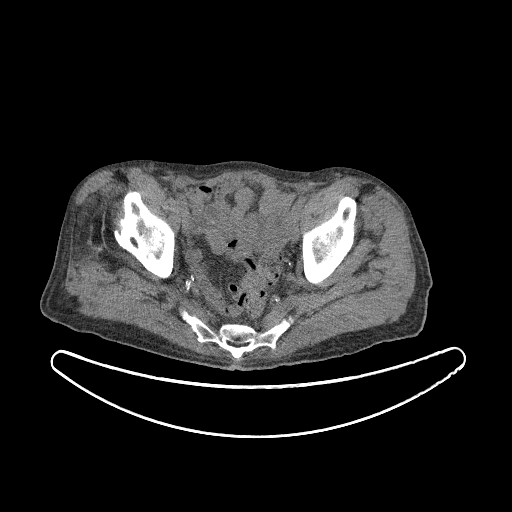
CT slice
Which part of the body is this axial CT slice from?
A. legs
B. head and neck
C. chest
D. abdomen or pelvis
Answer: D. abdomen or pelvis
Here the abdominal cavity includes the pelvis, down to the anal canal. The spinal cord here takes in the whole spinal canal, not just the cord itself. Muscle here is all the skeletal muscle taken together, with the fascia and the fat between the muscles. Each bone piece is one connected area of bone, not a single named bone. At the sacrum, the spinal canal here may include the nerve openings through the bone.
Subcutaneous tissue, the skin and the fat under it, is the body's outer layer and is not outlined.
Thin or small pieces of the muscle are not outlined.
The torso is outlined by (133, 159) (195, 164) (252, 160) (299, 171) (345, 166) (376, 176) (408, 205) (427, 254) (433, 284) (422, 330) (414, 337) (381, 342) (350, 355) (322, 361) (229, 371) (164, 357) (50, 320) (41, 313) (39, 300) (52, 268) (73, 188) (84, 176) (103, 165). The spinal cord is outlined by (229, 342) (230, 342) (231, 343) (246, 343) (246, 344) (245, 344) (244, 345) (240, 345) (239, 346) (236, 346) (235, 345) (233, 345) (232, 344) (230, 344) (229, 343). The abdominal cavity is outlined by (234, 178) (312, 193) (299, 215) (301, 253) (296, 262) (295, 284) (281, 301) (272, 306) (259, 327) (256, 327) (255, 328) (258, 329) (255, 329) (249, 324) (238, 322) (218, 325) (202, 304) (189, 297) (180, 285) (175, 246) (179, 229) (176, 202) (164, 188) (166, 182) (185, 186) (213, 184). The muscle is outlined by (133, 166) (206, 174) (225, 169) (256, 169) (280, 180) (346, 174) (372, 181) (397, 200) (408, 225) (416, 278) (406, 311) (397, 321) (342, 333) (290, 356) (244, 363) (219, 361) (171, 344) (134, 325) (80, 313) (64, 288) (75, 222) (74, 200) (83, 184) (96, 173) with a hole at (234, 178) (310, 191) (299, 215) (300, 236) (330, 218) (343, 196) (356, 201) (349, 251) (316, 284) (304, 275) (301, 253) (293, 289) (255, 328) (265, 331) (289, 316) (293, 322) (274, 349) (259, 346) (238, 359) (215, 342) (198, 341) (182, 319) (180, 310) (185, 309) (214, 330) (220, 326) (180, 285) (176, 247) (172, 271) (161, 278) (120, 246) (113, 232) (130, 190) (139, 192) (148, 209) (166, 220) (176, 238) (176, 202) (164, 184) (213, 184). The bones appear in 3 outlined pieces: piece 1: (130, 190) (139, 192) (143, 202) (148, 209) (155, 215) (165, 219) (174, 231) (175, 245) (173, 256) (173, 267) (170, 275) (166, 278) (161, 278) (146, 269) (130, 252) (120, 246) (115, 239) (113, 232) (118, 227) (118, 221) (123, 216) (124, 213) (123, 199) (125, 194); piece 2: (343, 196) (349, 196) (353, 198) (356, 201) (356, 215) (354, 221) (354, 237) (353, 238) (353, 244) (349, 251) (330, 275) (322, 281) (316, 284) (311, 283) (306, 279) (303, 272) (302, 234) (303, 232) (313, 228) (315, 226) (330, 218) (336, 211) (338, 203) (340, 199); piece 3: (182, 309) (191, 315) (195, 315) (214, 330) (217, 330) (224, 323) (238, 323) (249, 325) (261, 332) (289, 316) (293, 318) (293, 322) (277, 339) (274, 349) (268, 346) (259, 346) (251, 351) (244, 352) (238, 359) (215, 342) (198, 341) (191, 326) (182, 319) (180, 315); inner edge: (229, 342) (230, 342) (231, 343) (246, 343) (246, 344) (245, 344) (244, 345) (240, 345) (239, 346) (236, 346) (235, 345) (233, 345) (232, 344) (230, 344) (229, 343).